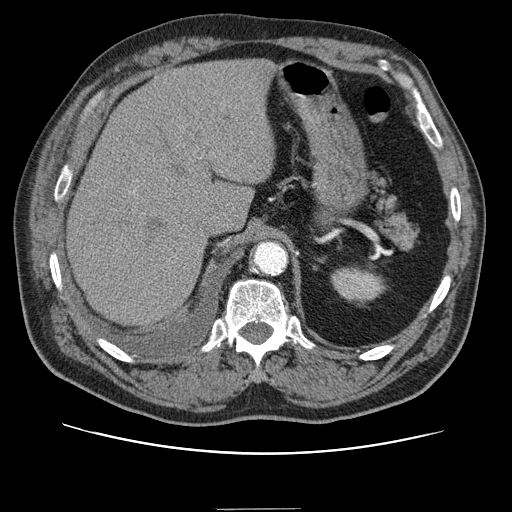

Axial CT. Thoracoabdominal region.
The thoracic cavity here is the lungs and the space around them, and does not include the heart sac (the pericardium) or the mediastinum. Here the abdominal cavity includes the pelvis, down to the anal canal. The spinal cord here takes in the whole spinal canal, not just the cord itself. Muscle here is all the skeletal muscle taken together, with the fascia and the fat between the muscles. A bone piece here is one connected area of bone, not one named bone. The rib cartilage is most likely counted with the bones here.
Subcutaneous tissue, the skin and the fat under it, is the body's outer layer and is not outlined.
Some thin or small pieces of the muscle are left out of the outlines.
The abdominal cavity is outlined by [[249,43],[376,74],[414,102],[448,187],[453,246],[429,304],[390,342],[355,351],[308,337],[292,306],[290,254],[277,239],[247,245],[224,281],[211,277],[191,313],[149,333],[104,329],[70,287],[61,248],[64,210],[86,149],[120,93],[183,61]]. The thoracic cavity is outlined by [[218,274],[223,278],[221,308],[219,316],[213,321],[207,336],[201,343],[190,349],[156,357],[130,354],[100,337],[88,326],[78,312],[68,292],[69,286],[87,314],[104,330],[112,334],[149,334],[163,330],[191,314],[202,301],[204,292],[212,277]]. The torso is outlined by [[220,12],[333,21],[387,35],[425,64],[471,152],[486,209],[471,322],[449,367],[403,404],[329,424],[254,419],[206,427],[174,425],[120,409],[63,380],[46,367],[28,338],[18,291],[12,218],[20,176],[43,126],[83,70],[114,43],[171,19]]. The spinal cord is outlined by [[252,322],[254,323],[258,323],[259,322],[261,323],[264,323],[268,325],[270,327],[271,327],[272,329],[271,334],[264,341],[263,341],[261,343],[258,343],[257,344],[255,343],[252,343],[250,341],[247,340],[240,334],[240,330],[248,323],[251,323]]. The mediastinum is outlined by [[265,240],[277,240],[281,242],[285,246],[289,254],[291,278],[293,283],[294,303],[287,302],[275,283],[265,278],[245,278],[237,280],[231,286],[228,290],[225,304],[225,300],[223,299],[222,296],[226,276],[242,257],[247,246],[250,244]]. The muscle is outlined by [[182,36],[212,36],[233,40],[288,36],[333,38],[390,49],[409,60],[421,72],[461,148],[467,165],[477,220],[469,262],[456,294],[452,327],[443,347],[434,356],[420,362],[383,388],[338,405],[327,407],[299,405],[273,391],[266,382],[260,382],[251,383],[220,409],[195,412],[144,400],[95,369],[60,351],[52,338],[46,307],[34,278],[30,251],[29,206],[40,152],[52,128],[84,87],[124,58],[150,46]] with holes at [[249,43],[395,86],[377,64],[383,58],[411,77],[443,141],[434,151],[448,190],[460,197],[449,289],[375,360],[359,359],[363,350],[287,342],[255,370],[224,340],[207,352],[199,343],[121,361],[98,344],[68,292],[64,210],[86,149],[126,89]] and at [[66,163],[67,163],[73,170],[72,180],[71,181],[70,186],[67,192],[63,197],[62,201],[59,203],[57,203],[54,201],[54,197],[53,196],[53,194],[54,193],[54,188],[55,187],[57,179],[59,176],[61,168],[63,166],[63,165]] and at [[102,88],[106,88],[107,90],[107,92],[105,96],[103,98],[102,102],[99,104],[99,105],[91,114],[91,115],[88,118],[87,121],[83,125],[82,125],[78,128],[78,121],[80,117],[80,114],[82,112],[82,110],[86,105],[88,100],[98,90]] and at [[52,251],[54,251],[56,253],[57,257],[58,258],[59,269],[60,270],[60,275],[61,276],[62,286],[63,287],[62,290],[60,291],[59,291],[55,287],[55,285],[52,279],[51,271],[50,270],[50,267],[49,266],[49,256],[50,255],[50,253]]. The bones appear in 9 outlined pieces: piece 1: [[245,279],[265,279],[275,284],[289,312],[299,319],[303,332],[315,343],[315,347],[307,349],[299,343],[287,342],[276,350],[266,352],[257,370],[248,353],[237,352],[225,340],[219,347],[201,352],[200,347],[214,321],[225,312],[229,290],[237,281]], around a hole outlined by [[252,322],[254,323],[258,323],[259,322],[261,323],[264,323],[268,325],[270,327],[271,327],[272,329],[271,334],[264,341],[263,341],[261,343],[258,343],[257,344],[255,343],[252,343],[250,341],[247,340],[240,334],[240,330],[248,323],[251,323]]; piece 2: [[380,58],[386,59],[394,68],[405,72],[411,77],[442,138],[443,141],[442,148],[435,147],[426,138],[419,127],[420,125],[416,118],[415,102],[410,92],[407,89],[402,87],[389,71],[384,71],[380,68],[377,64],[377,60]]; piece 3: [[66,163],[67,163],[73,170],[72,180],[71,181],[70,186],[67,192],[63,197],[62,201],[59,203],[57,203],[54,201],[54,197],[53,196],[53,194],[54,193],[54,188],[55,187],[57,179],[59,176],[61,168],[63,166],[63,165]]; piece 4: [[102,88],[106,88],[107,90],[107,92],[105,96],[103,98],[102,102],[99,104],[99,105],[91,114],[91,115],[88,118],[87,121],[83,125],[82,125],[78,128],[78,121],[80,117],[80,114],[82,112],[82,110],[86,105],[88,100],[98,90]]; piece 5: [[98,337],[101,338],[105,341],[107,341],[113,344],[115,346],[118,347],[130,355],[135,355],[136,356],[134,358],[135,362],[134,363],[128,363],[127,362],[124,362],[115,358],[109,354],[106,351],[105,351],[96,341],[96,339]]; piece 6: [[447,273],[450,274],[452,277],[452,279],[450,282],[450,286],[449,287],[449,289],[445,297],[443,299],[443,300],[431,312],[428,312],[428,308],[432,300],[433,295],[436,289],[438,287],[442,277],[446,275]]; piece 7: [[386,343],[392,343],[394,344],[395,346],[390,351],[390,352],[389,352],[383,357],[379,358],[378,359],[376,359],[375,360],[361,360],[358,358],[358,356],[360,353],[366,350],[368,350],[371,348],[373,348],[376,346],[378,346],[382,344],[385,344]]; piece 8: [[52,251],[54,251],[56,253],[57,257],[58,258],[59,269],[60,270],[60,275],[61,276],[62,286],[63,287],[62,290],[60,291],[59,291],[55,287],[55,285],[52,279],[51,271],[50,270],[50,267],[49,266],[49,256],[50,255],[50,253]]; piece 9: [[452,186],[455,186],[457,188],[458,192],[459,193],[459,196],[460,197],[460,202],[461,203],[461,215],[460,216],[460,219],[459,221],[457,222],[455,222],[452,215],[452,211],[450,208],[450,198],[449,197],[449,195],[450,194],[450,188]].